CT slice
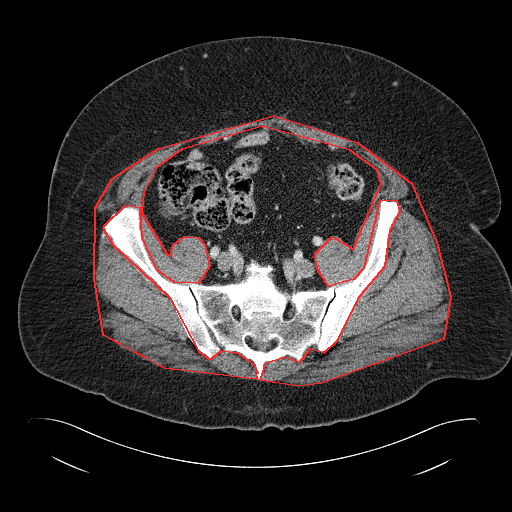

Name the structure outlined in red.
red: muscle.
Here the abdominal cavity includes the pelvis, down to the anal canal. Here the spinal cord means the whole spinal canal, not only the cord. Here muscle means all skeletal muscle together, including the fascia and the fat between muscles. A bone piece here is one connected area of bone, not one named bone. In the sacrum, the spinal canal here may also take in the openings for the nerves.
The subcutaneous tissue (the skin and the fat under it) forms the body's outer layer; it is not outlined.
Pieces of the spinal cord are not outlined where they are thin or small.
{"muscle":[[[274,115],[357,142],[411,183],[436,242],[450,296],[443,339],[321,383],[297,386],[260,380],[266,362],[285,356],[299,362],[310,348],[324,352],[337,340],[360,295],[385,265],[390,230],[400,211],[397,201],[379,200],[363,268],[353,279],[328,286],[316,267],[315,253],[332,236],[353,249],[381,183],[377,170],[350,150],[262,126],[181,149],[155,168],[143,192],[141,212],[166,253],[170,255],[173,244],[184,236],[198,237],[204,244],[209,266],[198,283],[174,282],[157,270],[142,237],[140,208],[125,205],[102,227],[112,244],[169,297],[198,351],[209,359],[221,350],[236,352],[254,364],[256,379],[164,368],[103,335],[94,278],[95,207],[112,178],[158,148]]],"spinal_cord":[[[247,338],[250,338],[252,342],[257,342],[258,343],[263,343],[264,344],[266,343],[270,343],[273,340],[276,340],[276,345],[275,345],[271,349],[264,352],[260,350],[257,350],[256,349],[254,349],[252,348],[250,345],[248,345],[247,344]]],"abdominal_cavity":[[[262,127],[350,151],[376,170],[380,183],[352,249],[332,235],[314,253],[317,272],[327,285],[324,289],[282,290],[274,279],[275,267],[253,258],[238,281],[199,283],[210,266],[202,240],[181,236],[169,254],[142,212],[144,192],[160,164],[181,150]]],"bones":[{"outer":[[382,199],[399,205],[387,256],[336,340],[299,361],[266,361],[259,380],[255,364],[236,351],[209,358],[198,350],[170,297],[103,228],[119,209],[140,209],[147,254],[174,283],[235,283],[253,259],[274,267],[282,291],[324,290],[364,268]],"holes":[[[247,338],[250,338],[252,342],[257,342],[258,343],[263,343],[264,344],[266,343],[270,343],[273,340],[276,340],[276,345],[275,345],[271,349],[264,352],[260,350],[257,350],[256,349],[254,349],[252,348],[250,345],[248,345],[247,344]],[[291,304],[293,304],[293,305],[294,306],[294,312],[293,313],[292,313],[291,314],[286,314],[286,309]],[[233,308],[234,308],[235,308],[236,308],[237,308],[238,309],[238,310],[238,311],[238,312],[238,313],[238,314],[238,315],[238,316],[237,316],[236,316],[235,316],[234,316],[233,315],[233,314],[233,313],[233,312],[233,311],[233,310],[233,309]]]}],"torso":[[[251,35],[375,53],[440,89],[469,116],[501,193],[497,219],[481,230],[511,282],[511,358],[499,373],[439,379],[408,400],[354,420],[240,430],[159,419],[30,364],[18,334],[18,294],[44,234],[54,162],[75,117],[103,87],[147,61],[193,44]]]}